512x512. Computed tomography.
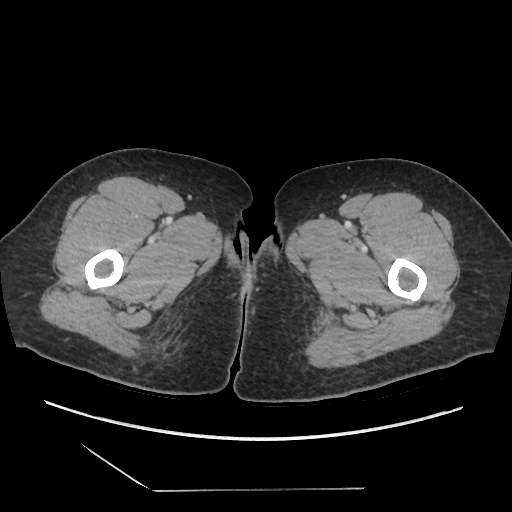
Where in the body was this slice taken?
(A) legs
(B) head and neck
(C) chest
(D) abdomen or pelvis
Answer: (A) legs
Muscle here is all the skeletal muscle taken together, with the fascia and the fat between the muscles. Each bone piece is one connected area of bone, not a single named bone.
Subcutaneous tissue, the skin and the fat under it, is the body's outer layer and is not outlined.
{"right_leg":[{"outer":[[135,147],[188,154],[223,164],[235,170],[251,190],[251,205],[242,212],[250,250],[254,251],[246,276],[242,344],[231,366],[229,381],[219,392],[172,395],[147,391],[51,361],[28,348],[16,346],[14,341],[1,283],[0,238],[64,173],[100,154]],"hole":[[237,237],[238,238],[238,242],[239,243],[239,251],[238,251],[237,250],[237,249],[236,248],[236,247],[235,246],[235,239]]}],"left_leg":[[[382,157],[412,160],[446,174],[464,187],[511,239],[511,281],[493,351],[447,368],[343,397],[309,402],[240,399],[234,392],[233,381],[239,369],[239,351],[243,344],[247,276],[262,240],[270,233],[278,239],[273,224],[278,190],[291,176],[312,167]]],"bones":[[[396,257],[405,257],[407,258],[410,261],[417,264],[425,272],[426,274],[426,276],[427,277],[427,284],[426,285],[426,287],[422,293],[420,298],[416,301],[412,301],[407,298],[404,298],[403,297],[401,297],[394,294],[389,289],[387,285],[387,273]],[[106,248],[115,248],[117,249],[119,253],[122,256],[124,261],[124,267],[123,268],[122,275],[120,279],[116,283],[111,286],[106,286],[105,287],[100,287],[95,289],[90,289],[87,284],[87,281],[84,275],[84,266],[86,262],[92,256]]],"muscle":[{"outer":[[127,174],[148,177],[175,190],[216,221],[224,241],[217,262],[178,308],[176,350],[164,359],[141,365],[120,357],[84,337],[51,325],[42,317],[39,308],[39,299],[43,292],[57,279],[52,269],[53,261],[61,225],[69,204],[81,192],[98,181]],"hole":[[106,248],[115,248],[117,249],[119,253],[122,256],[124,261],[124,267],[123,268],[122,275],[120,279],[116,283],[111,286],[106,286],[105,287],[100,287],[95,289],[90,289],[87,284],[87,281],[84,275],[84,266],[86,262],[92,256]]},{"outer":[[379,191],[411,193],[434,206],[450,221],[460,270],[458,283],[451,295],[456,305],[454,311],[444,328],[433,337],[351,366],[326,370],[313,368],[305,361],[300,347],[301,336],[312,312],[310,298],[303,282],[287,257],[286,241],[302,222],[353,196]],"hole":[[396,257],[405,257],[407,258],[410,261],[417,264],[425,272],[426,274],[426,276],[427,277],[427,284],[426,285],[426,287],[422,293],[420,298],[416,301],[412,301],[407,298],[404,298],[403,297],[401,297],[394,294],[389,289],[387,285],[387,273]]}]}